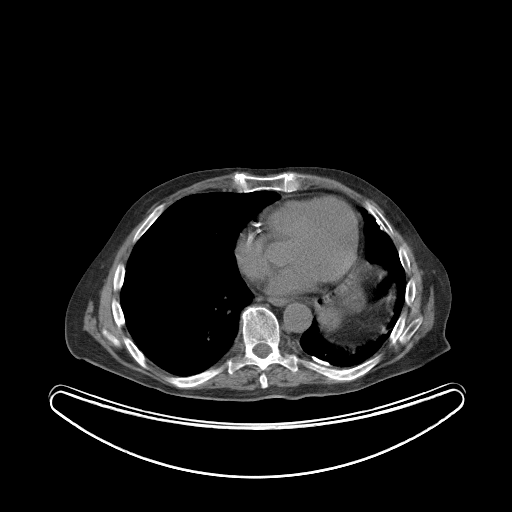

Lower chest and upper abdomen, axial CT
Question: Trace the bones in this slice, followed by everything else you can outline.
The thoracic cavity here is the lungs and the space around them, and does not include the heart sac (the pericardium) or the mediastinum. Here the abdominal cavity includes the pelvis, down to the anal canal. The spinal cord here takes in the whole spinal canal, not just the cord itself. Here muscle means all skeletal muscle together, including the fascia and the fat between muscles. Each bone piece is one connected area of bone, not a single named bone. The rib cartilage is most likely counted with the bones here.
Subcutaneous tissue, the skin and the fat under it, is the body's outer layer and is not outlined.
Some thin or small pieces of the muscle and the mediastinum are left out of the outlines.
Answer: Outlined structures:
bones 1: 249,305 271,310 281,336 302,358 338,369 377,354 381,358 349,381 329,378 301,363 294,372 272,363 264,371 265,388 255,364 231,374 225,367 200,384 178,388 164,377 187,377 221,364 240,338 240,316; inner edge: 258,344 266,344 270,348 270,351 264,357 260,357 259,356 258,356 256,354 255,354 255,353 253,351 253,349 254,348 254,347 256,345 257,345
bones 2: 235,172 243,172 248,175 255,175 256,176 274,176 283,172 296,172 297,173 303,174 305,177 301,180 301,187 299,189 294,191 255,190 250,192 238,192 236,191 235,188 232,185 232,182 231,181 231,176
bones 3: 402,312 405,313 405,323 407,325 408,325 413,320 420,316 422,317 422,321 417,330 404,344 402,344 398,340 397,340 393,345 391,345 390,344 390,342 388,338 389,337 389,335 393,327 395,325 400,314
bones 4: 161,203 165,203 165,209 159,215 159,216 153,222 153,223 144,232 144,233 134,244 132,242 132,240 133,239 133,237 136,231 138,229 140,225 143,222 143,221 149,215 149,214 158,205 159,205
bones 5: 365,201 368,201 376,208 377,208 377,209 385,217 385,218 388,221 393,231 393,236 391,238 390,236 384,230 380,228 375,218 363,206 363,203
bones 6: 124,336 126,336 130,338 136,345 136,346 141,351 141,352 146,358 146,363 147,364 147,366 148,368 144,368 142,366 141,366 133,358 133,357 130,354 127,348 125,346 125,345 122,341 123,339 123,337
bones 7: 113,298 115,298 119,301 119,303 120,304 120,306 121,307 121,309 123,313 123,316 125,320 125,325 121,327 118,327 114,320 114,317 113,316 113,313 112,312 112,308 111,307 111,302
bones 8: 121,262 123,263 125,266 125,272 124,273 124,277 123,278 123,283 122,284 122,286 120,290 117,290 115,291 113,288 113,278 114,277 114,274 115,273 115,270 116,269 116,267 117,265
bones 9: 412,277 414,279 414,280 415,281 415,295 414,296 414,298 413,299 413,301 411,303 411,304 410,305 410,306 409,306 408,305 407,305 405,303 405,294 406,293 406,284 407,283 407,281 410,278 411,278
bones 10: 401,245 404,246 404,247 405,248 405,249 407,252 407,255 408,256 408,258 409,259 409,269 406,272 405,271 404,268 402,266 402,264 400,261 400,258 399,257 399,254 398,253 398,248
bones 11: 104,328 105,329 106,329 110,333 111,333 115,337 116,337 120,341 120,346 115,346 109,340 108,340 103,335 103,334 102,333 102,330
muscle 1: 233,172 230,176 230,181 235,190 215,189 196,192 176,200 167,207 165,202 158,204 135,231 131,240 133,246 125,265 121,261 116,265 114,270 112,288 115,292 119,291 119,300 115,297 111,299 111,312 116,326 118,328 125,326 130,336 124,335 121,341 132,358 144,369 149,368 147,363 148,360 162,370 171,374 172,375 165,375 163,377 163,379 168,384 173,386 167,385 133,370 117,361 89,333 83,329 84,314 89,300 92,300 94,306 96,308 97,307 99,303 100,291 117,250 129,233 144,218 148,209 153,204 160,202 174,192 196,182, around a hole outlined by 104,328 105,329 106,329 110,333 111,333 115,337 116,337 120,341 120,346 115,346 109,340 108,340 103,335 103,334 102,333 102,330
muscle 2: 389,221 410,246 418,266 423,271 424,298 428,296 431,286 433,288 434,322 431,329 404,356 393,363 367,373 381,360 382,355 375,354 387,340 391,346 397,341 404,345 423,321 423,317 420,315 408,324 406,323 406,313 402,309 405,304 410,307 414,301 416,281 412,276 407,279 406,273 410,269 408,252 402,244 396,247 392,239 394,231
muscle 3: 272,364 281,365 293,373 298,370 299,368 298,365 301,364 304,367 323,375 329,379 336,381 346,381 346,382 334,383 333,384 302,383 296,386 276,386 275,385 268,386 268,378 265,373 265,371 268,366
muscle 4: 248,365 255,365 257,366 261,371 258,377 260,388 256,388 252,390 238,390 237,389 231,389 230,388 201,388 200,389 189,388 193,388 206,382 208,380 222,372 225,368 226,371 231,375 233,374 234,372
muscle 5: 301,173 307,173 308,174 328,177 335,179 345,184 375,202 383,211 384,215 377,207 368,200 365,200 362,203 362,206 344,193 334,189 330,189 324,187 316,187 315,186 302,187 302,180 306,176 303,173
abdominal cavity: 361,256 364,256 369,262 377,264 389,272 391,287 395,292 395,302 393,314 387,323 385,331 375,339 367,341 354,351 349,351 334,346 322,336 315,315 315,300 319,296 331,292 344,281 356,269
mediastinum 1: 250,290 258,297 270,297 271,298 279,298 280,299 314,298 317,297 314,300 314,315 315,317 313,318 309,327 303,332 297,343 290,343 282,336 279,320 275,313 271,309 263,305 251,304 253,299 253,294
mediastinum 2: 309,187 324,188 340,192 361,206 359,210 363,219 364,235 363,254 364,255 362,255 363,251 363,239 361,234 362,219 354,206 343,196 330,192 309,192 288,194 280,198 280,196 275,191 294,192 301,188
pericardium: 309,193 330,193 341,196 347,200 359,214 361,219 360,234 362,239 362,251 355,269 338,285 330,289 326,293 318,296 280,298 256,295 246,285 237,267 234,250 240,233 251,221 257,217 264,208 282,197
spinal cord: 258,344 266,344 270,348 270,351 264,357 260,357 259,356 258,356 256,354 255,354 255,353 253,351 253,349 254,348 254,347 256,345 257,345
thoracic cavity 1: 215,190 238,193 274,191 279,198 266,205 246,224 234,246 236,267 252,294 250,304 239,316 239,338 234,340 223,358 208,368 187,376 173,375 147,359 131,338 120,303 126,264 134,245 166,208 186,196
thoracic cavity 2: 361,207 374,218 397,249 407,280 404,304 387,339 374,355 354,366 338,368 300,355 290,344 299,342 314,318 319,333 328,343 349,352 354,352 386,331 394,314 396,292 392,287 390,272 365,257 364,219
torso: 236,166 336,168 361,177 391,198 448,274 452,299 445,335 450,349 421,367 356,391 290,400 268,398 256,401 210,400 172,395 75,358 68,350 64,338 64,318 69,299 81,276 130,206 153,187 179,175